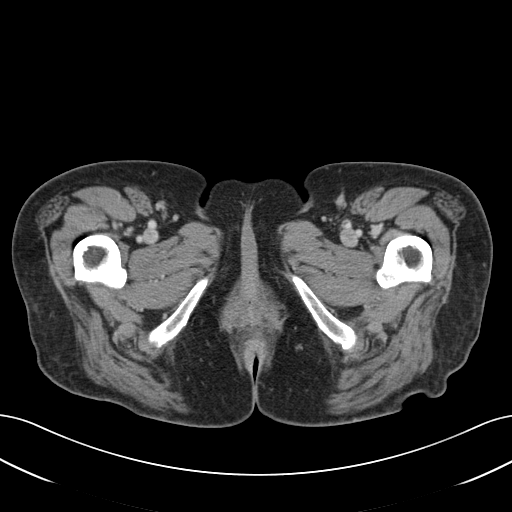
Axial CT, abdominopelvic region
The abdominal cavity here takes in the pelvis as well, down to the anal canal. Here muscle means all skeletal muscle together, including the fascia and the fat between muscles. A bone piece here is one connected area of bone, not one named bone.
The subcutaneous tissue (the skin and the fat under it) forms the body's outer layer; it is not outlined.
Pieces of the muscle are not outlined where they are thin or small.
bones 1: 403,233 410,233 411,234 418,235 425,239 429,243 430,247 432,250 432,268 431,269 431,279 429,282 402,282 395,286 392,286 388,288 382,288 378,284 375,279 375,273 383,262 384,252 388,242 393,238
bones 2: 94,233 105,233 107,234 114,240 119,249 121,258 121,265 125,268 127,272 126,282 121,288 109,287 100,282 90,282 87,283 83,281 76,280 74,277 74,267 73,266 73,256 72,255 74,245 81,238
bones 3: 290,273 295,274 300,277 307,284 325,307 334,316 349,325 354,330 357,336 357,339 355,345 350,350 344,350 339,344 335,343 319,329 316,324 316,322 312,317 310,312 306,307 294,284 292,282 289,276
bones 4: 205,276 208,276 208,284 203,291 195,307 191,312 186,325 181,329 177,335 158,348 154,346 151,343 149,343 147,337 150,330 162,321 165,320 177,308 178,305 186,296 190,289 195,283 199,279
abdominal cavity: 257,290 262,290 272,300 274,304 274,314 273,315 272,324 267,336 269,342 268,346 263,350 253,351 251,350 248,346 247,341 243,336 241,331 230,318 230,313 231,312 231,304 239,295 240,292 256,291
torso: 114,159 178,163 209,186 280,178 303,199 308,172 333,162 405,162 459,178 478,197 493,243 467,361 439,396 417,393 398,412 319,427 280,423 256,407 237,425 186,426 61,388 36,362 13,228 46,180
muscle 1: 390,183 436,187 464,206 455,232 451,289 436,318 433,359 426,370 381,401 334,413 326,403 330,364 316,329 344,351 356,345 358,336 292,272 288,276 313,322 274,268 272,233 290,221 331,223 358,194 with a hole at 403,233 410,233 411,234 418,235 425,239 429,243 430,247 432,250 432,268 431,269 431,279 429,282 402,282 395,286 392,286 388,288 382,288 378,284 375,279 375,273 383,262 384,252 388,242 393,238
muscle 2: 79,184 163,188 171,191 181,212 222,232 221,251 215,277 174,349 174,377 181,387 186,411 170,406 154,407 98,384 86,375 81,366 73,322 49,275 44,241 35,219 42,206 51,198 64,189 with holes at 94,233 105,233 107,234 114,240 119,249 121,258 121,265 125,268 127,272 126,282 121,288 109,287 100,282 90,282 87,283 83,281 76,280 74,277 74,267 73,266 73,256 72,255 74,245 81,238 and at 205,276 208,276 208,284 203,291 195,307 191,312 186,325 181,329 177,335 158,348 154,346 151,343 149,343 147,337 150,330 162,321 165,320 177,308 178,305 186,296 190,289 195,283 199,279
muscle 3: 246,274 255,274 263,279 281,298 289,312 288,318 285,323 271,365 270,372 268,372 263,378 259,379 244,378 242,374 239,372 236,367 228,343 218,324 218,313 221,304 224,299 231,292 236,283 238,276, around a hole outlined by 257,290 262,290 272,300 274,304 274,314 273,315 272,324 267,336 269,342 268,346 263,350 253,351 251,350 248,346 247,341 243,336 241,331 230,318 230,313 231,312 231,304 239,295 240,292 256,291